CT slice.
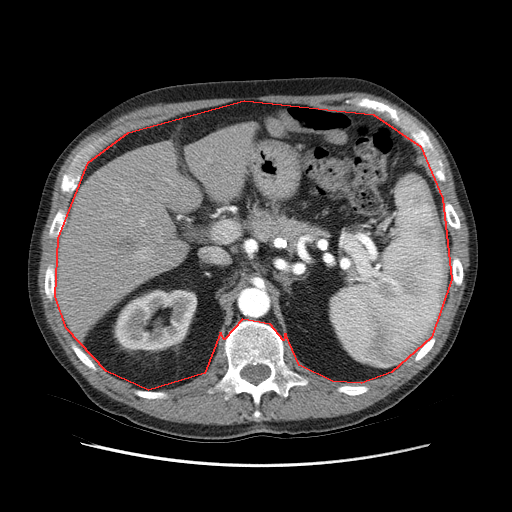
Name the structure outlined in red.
red: abdominal cavity.
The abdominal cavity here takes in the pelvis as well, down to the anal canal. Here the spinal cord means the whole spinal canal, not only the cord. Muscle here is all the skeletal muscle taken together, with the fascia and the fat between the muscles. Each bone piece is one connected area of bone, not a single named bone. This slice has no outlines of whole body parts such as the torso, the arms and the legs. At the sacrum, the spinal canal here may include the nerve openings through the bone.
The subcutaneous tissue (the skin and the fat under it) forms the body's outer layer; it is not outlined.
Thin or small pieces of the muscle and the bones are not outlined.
abdominal cavity: [[244,100],[373,114],[420,146],[442,198],[451,279],[431,337],[391,372],[361,383],[332,381],[299,365],[285,333],[283,340],[270,324],[242,319],[224,339],[220,332],[204,373],[148,390],[106,371],[66,328],[55,296],[58,238],[88,162],[128,132]]
spinal cord: [[257,364],[263,364],[264,365],[266,365],[270,369],[270,374],[268,377],[267,377],[259,383],[257,384],[254,384],[244,379],[241,376],[240,374],[240,372],[241,370],[245,366],[247,365],[253,365],[254,366]]
muscle: [[343,92],[365,92],[380,96],[393,103],[395,103],[408,111],[432,132],[439,142],[449,163],[453,176],[456,195],[464,213],[468,227],[469,233],[469,242],[468,243],[469,266],[465,277],[466,285],[464,289],[462,300],[457,309],[451,326],[451,329],[443,346],[434,358],[423,369],[420,370],[407,382],[401,385],[398,389],[388,394],[384,398],[380,399],[361,410],[344,415],[325,418],[321,417],[319,418],[306,418],[300,420],[288,420],[287,421],[262,421],[261,422],[251,421],[247,423],[235,423],[231,425],[180,423],[152,416],[125,403],[113,399],[105,393],[92,386],[69,360],[64,350],[58,342],[56,336],[50,328],[44,313],[44,309],[42,305],[38,286],[38,270],[41,255],[40,241],[42,232],[51,207],[51,198],[53,187],[57,174],[65,159],[72,149],[83,138],[90,133],[104,127],[117,116],[132,110],[134,108],[146,105],[153,105],[157,103],[173,103],[174,102],[183,102],[201,99],[212,99],[213,98],[257,97],[266,95],[321,95],[322,94],[334,94]], around holes outlined by [[352,98],[380,101],[407,116],[428,135],[443,163],[444,181],[429,173],[451,237],[450,273],[457,257],[463,279],[460,285],[450,280],[431,336],[435,341],[422,358],[414,355],[385,375],[350,383],[368,390],[349,395],[337,390],[345,383],[300,366],[285,333],[284,361],[308,382],[292,386],[286,397],[266,391],[258,406],[247,392],[229,399],[222,391],[207,392],[228,367],[222,331],[209,368],[163,389],[166,398],[138,396],[136,387],[91,357],[96,370],[80,360],[56,297],[49,300],[44,283],[58,247],[49,229],[59,209],[68,211],[72,197],[61,190],[62,176],[84,146],[105,135],[90,160],[128,132],[244,100],[335,106],[388,119],[385,112],[346,103]] and by [[446,202],[448,202],[452,205],[454,210],[456,212],[456,213],[459,218],[459,220],[460,221],[460,227],[458,229],[456,229],[455,228],[452,227],[448,223],[448,222],[447,221],[447,219],[444,214],[444,209],[443,208],[443,207],[444,206],[444,204]] and by [[256,409],[257,409],[258,409],[259,410],[260,411],[260,412],[261,413],[261,414],[260,415],[260,416],[259,417],[258,417],[257,418],[256,419],[255,419],[254,418],[254,417],[253,416],[253,415],[253,414],[253,413],[254,412],[254,411],[255,410]]
bones 1: [[242,320],[257,320],[273,327],[283,341],[285,363],[306,378],[307,384],[292,386],[286,397],[273,390],[266,391],[261,395],[258,406],[247,392],[236,393],[229,399],[225,399],[222,391],[208,393],[207,390],[219,381],[228,367],[224,353],[227,332]]; inner edge: [[257,364],[263,364],[264,365],[266,365],[270,369],[270,374],[268,377],[267,377],[259,383],[257,384],[254,384],[244,379],[241,376],[240,374],[240,372],[241,370],[245,366],[247,365],[253,365],[254,366]]
bones 2: [[352,98],[368,98],[388,104],[407,116],[422,129],[428,135],[430,141],[438,152],[439,157],[443,163],[445,180],[440,181],[433,174],[421,146],[413,139],[408,131],[394,123],[385,112],[378,112],[370,108],[358,106],[354,103],[346,103],[345,100]]
bones 3: [[104,135],[105,135],[105,137],[103,141],[96,148],[95,151],[89,156],[90,157],[89,160],[87,162],[85,167],[82,170],[79,181],[73,192],[72,193],[63,192],[60,187],[62,180],[62,176],[67,171],[74,156],[88,143],[91,142],[94,139]]
bones 4: [[59,209],[62,209],[63,210],[65,210],[66,211],[66,214],[67,215],[67,217],[66,218],[66,222],[63,228],[61,230],[58,237],[56,238],[54,238],[53,237],[50,237],[49,236],[49,229],[52,223],[53,218],[56,214],[57,211]]
bones 5: [[50,264],[52,264],[54,266],[54,296],[53,297],[53,298],[51,300],[49,300],[49,299],[46,296],[46,294],[45,293],[45,290],[44,289],[44,283],[45,282],[45,272],[46,271],[46,269],[47,268],[47,267],[48,266],[48,265],[49,265]]
bones 6: [[446,202],[448,202],[452,205],[454,210],[456,212],[456,213],[459,218],[459,220],[460,221],[460,227],[458,229],[456,229],[455,228],[452,227],[448,223],[448,222],[447,221],[447,219],[444,214],[444,209],[443,208],[443,207],[444,206],[444,204]]
bones 7: [[455,257],[457,257],[460,260],[460,261],[461,262],[461,264],[462,265],[462,267],[463,268],[463,279],[462,280],[462,282],[461,283],[461,284],[460,285],[457,285],[453,281],[453,280],[452,279],[452,261],[453,260],[453,258],[454,258]]
bones 8: [[346,384],[349,384],[350,385],[365,385],[368,387],[368,390],[363,393],[361,393],[360,394],[358,394],[357,395],[349,395],[348,394],[346,394],[345,393],[343,393],[342,392],[340,392],[337,390],[337,388],[339,386],[341,386],[342,385],[345,385]]
bones 9: [[72,342],[74,342],[89,357],[89,358],[92,361],[92,362],[95,365],[95,366],[96,367],[96,370],[93,370],[92,369],[89,368],[85,364],[84,364],[80,360],[80,359],[76,355],[75,352],[71,347],[71,343]]
bones 10: [[134,389],[140,389],[141,390],[147,390],[148,391],[162,391],[163,392],[165,392],[166,393],[167,393],[167,397],[166,398],[145,398],[144,397],[141,397],[140,396],[138,396],[136,394],[135,394],[134,393],[134,392],[133,391],[134,390]]
bones 11: [[432,337],[434,337],[435,338],[435,341],[434,342],[434,343],[433,344],[431,349],[422,358],[421,358],[418,361],[416,361],[414,359],[414,358],[415,357],[417,352],[420,349],[420,348],[428,340],[429,340],[430,339],[430,338],[431,338]]